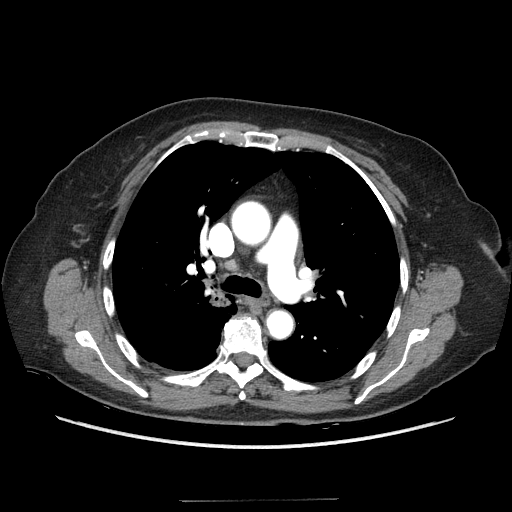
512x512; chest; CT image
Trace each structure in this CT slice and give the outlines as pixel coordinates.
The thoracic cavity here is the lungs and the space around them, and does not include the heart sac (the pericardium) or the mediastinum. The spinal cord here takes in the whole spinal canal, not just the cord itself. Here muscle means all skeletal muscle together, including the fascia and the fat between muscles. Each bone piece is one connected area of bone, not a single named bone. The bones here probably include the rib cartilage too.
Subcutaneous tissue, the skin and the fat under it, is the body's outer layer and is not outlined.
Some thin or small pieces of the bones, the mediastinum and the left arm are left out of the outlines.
The thoracic cavity is outlined by [[218,138],[332,155],[381,205],[399,288],[383,332],[339,377],[302,381],[269,358],[269,342],[294,335],[286,305],[306,269],[299,196],[282,169],[206,232],[215,283],[236,305],[216,356],[176,373],[141,357],[125,336],[111,266],[130,205],[170,154]]. The torso is outlined by [[205,96],[343,112],[419,137],[442,153],[468,197],[499,226],[497,258],[509,273],[509,289],[493,350],[401,409],[365,420],[303,426],[216,425],[143,416],[86,397],[42,370],[27,369],[8,321],[2,275],[9,249],[49,181],[122,123],[166,103]]. The muscle is outlined by [[210,120],[237,120],[256,124],[263,129],[274,127],[291,127],[326,135],[372,158],[381,166],[392,181],[404,194],[410,207],[403,207],[406,220],[402,222],[403,232],[405,235],[409,251],[412,280],[414,282],[420,270],[423,270],[429,263],[433,262],[440,264],[453,264],[459,268],[463,276],[462,293],[459,302],[455,308],[458,327],[447,342],[443,353],[437,360],[427,368],[421,370],[405,384],[390,392],[377,395],[362,405],[357,405],[352,408],[336,409],[316,413],[299,413],[254,406],[244,401],[240,401],[234,405],[218,405],[189,410],[168,410],[163,408],[154,408],[149,405],[137,402],[134,396],[126,392],[108,387],[103,383],[93,379],[89,375],[77,371],[64,359],[60,351],[60,348],[54,342],[54,340],[48,334],[47,331],[47,318],[43,305],[43,291],[50,269],[57,262],[64,258],[73,258],[78,261],[83,273],[90,277],[97,269],[101,246],[115,211],[112,205],[117,198],[117,193],[120,189],[120,185],[124,177],[153,146],[164,138],[184,126],[196,122]], around holes outlined by [[208,128],[265,131],[278,136],[298,135],[322,140],[362,169],[388,204],[396,220],[392,229],[397,252],[408,265],[407,289],[404,294],[400,288],[396,293],[394,304],[401,304],[401,312],[393,333],[386,338],[384,330],[373,343],[370,348],[377,350],[376,357],[358,377],[350,380],[350,370],[339,377],[315,382],[320,387],[318,390],[286,391],[276,378],[264,371],[244,385],[245,398],[240,400],[238,384],[226,373],[214,371],[197,386],[168,383],[160,378],[175,371],[142,357],[139,369],[120,349],[114,333],[123,334],[124,331],[116,314],[109,317],[103,300],[104,284],[112,287],[112,269],[103,268],[106,245],[112,237],[118,236],[143,179],[162,154],[187,134]] and by [[425,327],[429,328],[428,334],[422,340],[417,341],[411,345],[404,364],[387,380],[380,385],[374,387],[366,395],[360,403],[354,404],[354,399],[357,396],[360,395],[368,386],[382,379],[399,363],[401,360],[407,342],[409,332],[414,328],[424,328]] and by [[79,330],[87,330],[94,339],[107,364],[123,378],[131,380],[135,384],[143,388],[148,393],[148,396],[147,397],[142,397],[130,386],[119,380],[114,376],[104,366],[99,358],[98,354],[94,349],[87,346],[82,346],[80,345],[75,338],[75,333]]. The bones appear in 10 outlined pieces: piece 1: [[245,313],[259,322],[272,364],[294,379],[318,385],[318,390],[286,391],[276,378],[264,371],[244,385],[245,398],[240,400],[238,384],[226,373],[214,371],[197,386],[168,383],[160,378],[194,371],[210,363],[217,356],[224,324],[230,317]] with a hole at [[240,352],[245,352],[246,353],[247,353],[248,354],[251,355],[253,357],[253,361],[252,362],[252,363],[251,364],[250,364],[248,366],[247,366],[244,368],[242,368],[241,367],[238,366],[235,363],[235,362],[234,361],[234,356],[236,354],[237,354]]; piece 2: [[208,128],[265,131],[278,136],[298,135],[332,145],[365,172],[394,214],[395,227],[373,191],[354,169],[332,154],[309,148],[301,149],[298,146],[271,151],[262,147],[226,143],[219,137],[205,139],[181,146],[170,153],[142,183],[164,152],[187,134]]; piece 3: [[425,327],[429,328],[428,334],[422,340],[417,341],[411,345],[404,364],[387,380],[380,385],[374,387],[366,395],[360,403],[354,404],[354,399],[357,396],[360,395],[368,386],[382,379],[399,363],[401,360],[407,342],[409,332],[414,328],[424,328]]; piece 4: [[79,330],[87,330],[94,339],[107,364],[123,378],[131,380],[135,384],[143,388],[148,393],[148,396],[147,397],[142,397],[130,386],[119,380],[114,376],[104,366],[99,358],[98,354],[94,349],[87,346],[82,346],[80,345],[75,338],[75,333]]; piece 5: [[115,331],[118,331],[122,334],[123,334],[127,339],[127,340],[130,343],[130,344],[135,349],[135,350],[140,357],[140,360],[139,361],[142,365],[142,368],[141,369],[137,368],[125,356],[125,355],[122,352],[116,341],[116,339],[114,335]]; piece 6: [[371,349],[376,349],[377,350],[377,354],[376,355],[376,357],[373,361],[373,362],[370,365],[370,366],[361,375],[360,375],[358,377],[357,377],[352,380],[350,380],[349,379],[349,376],[352,372],[352,370],[355,367],[355,366],[362,359],[362,358]]; piece 7: [[397,303],[400,303],[401,304],[401,312],[400,313],[400,316],[399,317],[398,322],[396,325],[396,327],[393,333],[390,336],[390,337],[388,338],[386,338],[385,336],[385,328],[390,318],[390,316],[393,310],[393,308],[394,306]]; piece 8: [[104,284],[107,284],[111,288],[111,290],[112,291],[112,295],[113,296],[113,301],[114,302],[114,306],[115,307],[115,314],[112,317],[112,318],[110,318],[109,317],[109,316],[105,309],[105,306],[104,305],[104,301],[103,300],[103,286],[104,285]]; piece 9: [[401,255],[402,255],[405,258],[405,259],[406,260],[406,262],[407,263],[407,264],[408,265],[408,280],[407,281],[407,289],[406,290],[406,292],[404,294],[402,294],[401,293],[401,289],[400,288],[400,256]]; piece 10: [[112,237],[115,237],[116,238],[115,240],[115,246],[114,247],[114,250],[113,251],[112,261],[111,262],[111,265],[110,267],[107,270],[104,270],[103,268],[103,254],[104,253],[104,251],[105,250],[105,248],[106,247],[106,245],[108,241]]. The left arm is outlined by [[509,238],[511,240],[511,270],[510,271],[510,272],[508,272],[503,267],[503,266],[502,265],[502,264],[504,264],[507,261],[507,257],[506,256],[506,253],[507,252],[507,250],[508,249],[508,241],[509,240]]. The mediastinum is outlined by [[279,170],[282,170],[294,185],[298,196],[305,269],[295,301],[285,305],[296,323],[293,335],[283,341],[271,340],[266,345],[258,319],[245,312],[235,314],[237,305],[234,298],[224,294],[222,288],[216,283],[206,236],[210,226],[246,190]]. The spinal cord is outlined by [[240,352],[245,352],[246,353],[247,353],[248,354],[251,355],[253,357],[253,361],[252,362],[252,363],[251,364],[250,364],[248,366],[247,366],[244,368],[242,368],[241,367],[238,366],[235,363],[235,362],[234,361],[234,356],[236,354],[237,354]].